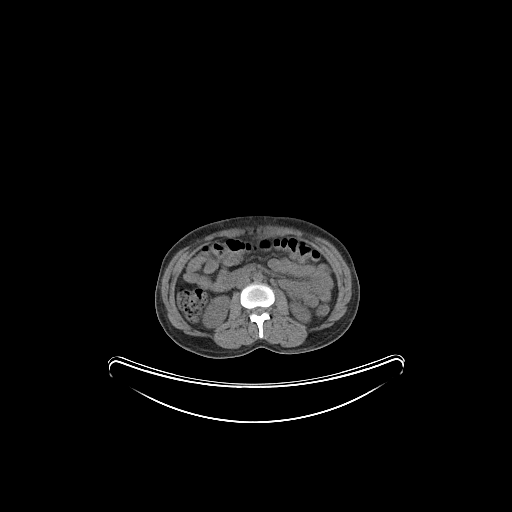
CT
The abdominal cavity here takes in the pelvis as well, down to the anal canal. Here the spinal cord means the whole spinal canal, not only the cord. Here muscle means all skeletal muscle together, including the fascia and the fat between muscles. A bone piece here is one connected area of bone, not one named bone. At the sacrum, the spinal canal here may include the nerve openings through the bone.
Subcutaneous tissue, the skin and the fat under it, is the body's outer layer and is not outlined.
muscle: 271,224 302,230 328,239 335,246 351,274 351,297 344,315 330,327 311,333 303,343 293,347 283,347 259,339 249,345 227,349 208,338 191,336 174,327 167,317 161,298 162,277 172,257 186,245 211,233, around a hole outlined by 246,235 292,236 309,242 335,276 337,299 330,314 316,325 300,322 289,314 284,291 273,287 275,299 267,309 270,317 262,324 262,338 237,290 229,300 226,321 212,331 189,324 175,302 186,262 209,242
torso: 258,214 292,216 308,220 329,231 345,245 354,262 360,285 360,301 355,318 337,340 319,349 303,353 282,354 258,348 237,357 209,358 182,348 165,333 154,306 156,280 164,255 178,239 198,226 229,217
abdominal cavity: 246,235 292,236 309,242 324,257 335,276 337,299 330,314 316,325 300,322 289,314 288,303 282,289 254,281 232,294 226,321 212,331 197,329 189,324 175,302 176,283 186,262 209,242 223,237
spinal cord: 256,307 261,307 262,308 263,308 264,309 264,310 260,314 257,314 256,313 254,313 253,312 252,312 252,309 253,309 254,308 255,308
bones: 254,282 263,283 268,285 272,288 275,297 274,302 267,309 270,317 269,319 266,319 262,324 262,331 263,332 263,337 262,338 259,337 259,329 257,324 250,320 249,311 242,306 240,302 240,292 242,289; inner edge: 256,307 261,307 262,308 263,308 264,309 264,310 260,314 257,314 256,313 254,313 253,312 252,312 252,309 253,309 254,308 255,308